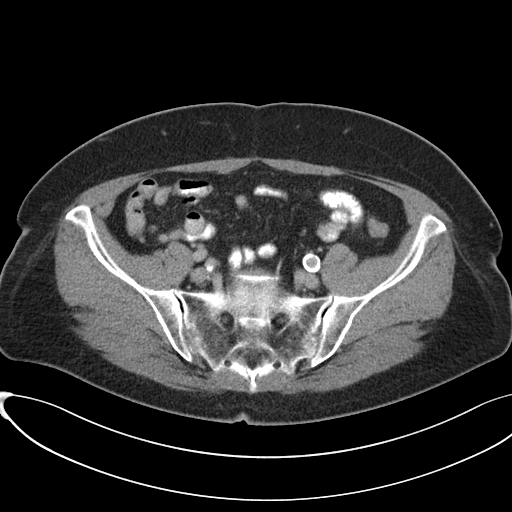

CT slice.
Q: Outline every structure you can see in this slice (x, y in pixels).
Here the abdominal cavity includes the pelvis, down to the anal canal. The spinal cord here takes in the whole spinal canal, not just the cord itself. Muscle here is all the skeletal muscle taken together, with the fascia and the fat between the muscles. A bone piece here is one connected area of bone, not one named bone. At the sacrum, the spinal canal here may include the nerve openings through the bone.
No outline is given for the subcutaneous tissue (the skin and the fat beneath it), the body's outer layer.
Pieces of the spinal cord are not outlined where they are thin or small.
A: {"abdominal_cavity":[[[252,162],[373,184],[402,201],[408,227],[392,252],[360,260],[343,242],[329,245],[319,269],[324,295],[286,291],[278,273],[255,270],[232,274],[221,291],[183,289],[193,250],[174,240],[151,253],[128,251],[105,222],[116,198],[155,174],[229,174]]],"torso":[[[209,102],[352,108],[404,126],[444,151],[478,189],[502,229],[496,262],[511,290],[511,344],[505,353],[395,403],[288,425],[226,423],[162,411],[55,368],[12,360],[1,353],[0,271],[21,232],[16,214],[30,188],[71,150],[114,126],[153,112]]],"spinal_cord":[[[248,347],[255,347],[256,348],[258,348],[263,353],[263,355],[262,356],[262,361],[261,362],[259,362],[253,367],[250,367],[247,364],[246,364],[244,362],[243,362],[243,361],[241,359],[241,358],[240,357],[240,352],[244,348],[247,348]],[[280,313],[285,313],[287,315],[287,317],[286,318],[286,319],[285,320],[285,321],[284,322],[284,324],[281,327],[278,327],[276,325],[275,325],[274,324],[273,324],[271,322],[271,321],[276,316],[277,316]],[[225,311],[226,311],[231,316],[231,317],[232,318],[232,323],[230,325],[229,325],[228,324],[227,325],[224,325],[222,323],[222,322],[221,321],[221,319],[220,318],[220,316]]],"bones":[{"outer":[[79,204],[89,206],[114,261],[156,290],[221,292],[232,275],[255,271],[278,274],[278,284],[299,296],[362,295],[400,264],[425,213],[446,231],[360,309],[330,357],[256,376],[250,392],[238,373],[188,362],[173,348],[146,299],[64,218]],"holes":[[[248,347],[255,347],[256,348],[258,348],[263,353],[263,355],[262,356],[262,361],[261,362],[259,362],[253,367],[250,367],[247,364],[246,364],[244,362],[243,362],[243,361],[241,359],[241,358],[240,357],[240,352],[244,348],[247,348]],[[280,313],[285,313],[287,315],[287,317],[286,318],[286,319],[285,320],[285,321],[284,322],[284,324],[281,327],[278,327],[276,325],[275,325],[274,324],[273,324],[271,322],[271,321],[276,316],[277,316]],[[225,311],[226,311],[231,316],[231,317],[232,318],[232,323],[230,325],[229,325],[228,324],[227,325],[224,325],[222,323],[222,322],[221,321],[221,319],[220,318],[220,316]]]}],"muscle":[[[253,155],[389,178],[425,193],[447,213],[460,249],[453,292],[444,314],[420,338],[425,345],[418,354],[341,389],[256,392],[256,377],[291,375],[300,362],[312,369],[330,358],[361,309],[405,278],[447,231],[425,212],[405,255],[382,281],[362,294],[329,292],[320,278],[328,247],[343,243],[359,261],[392,253],[409,227],[403,201],[347,175],[293,173],[261,161],[229,173],[155,173],[115,198],[104,222],[128,252],[151,254],[174,241],[192,250],[193,265],[179,287],[156,289],[125,271],[104,245],[88,204],[63,217],[95,258],[145,299],[185,361],[236,373],[250,393],[173,389],[114,365],[76,335],[71,327],[78,322],[57,290],[50,235],[62,210],[112,178]]]}